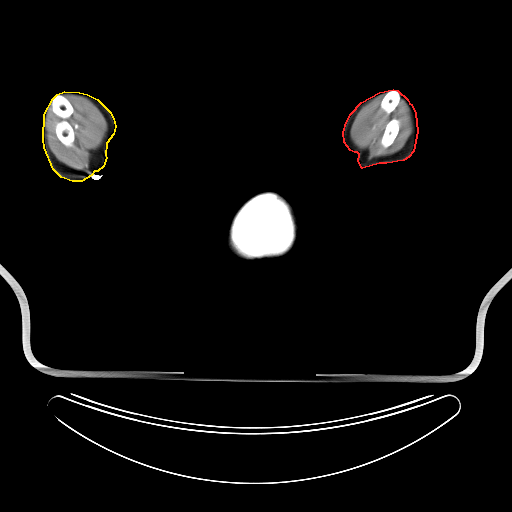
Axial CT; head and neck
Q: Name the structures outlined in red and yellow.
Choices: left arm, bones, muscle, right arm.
A: red: left arm; yellow: right arm.
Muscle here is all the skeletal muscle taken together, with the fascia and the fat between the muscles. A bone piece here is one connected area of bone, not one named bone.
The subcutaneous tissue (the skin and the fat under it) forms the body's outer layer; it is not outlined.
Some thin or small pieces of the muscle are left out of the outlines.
The left arm is outlined by [[393,89],[397,90],[407,99],[409,103],[411,104],[415,113],[417,131],[413,151],[408,157],[403,160],[386,163],[379,163],[362,168],[358,161],[359,154],[357,152],[354,152],[350,150],[344,142],[343,132],[346,122],[351,113],[361,102],[379,92]]. The right arm is outlined by [[64,91],[79,92],[87,94],[97,99],[109,111],[113,118],[115,126],[113,134],[106,143],[105,155],[106,157],[103,166],[97,171],[94,171],[91,175],[81,181],[72,181],[61,177],[53,169],[44,147],[43,139],[44,114],[53,98],[57,94]]. The head and neck is outlined by [[264,191],[276,192],[289,203],[293,213],[295,214],[295,219],[297,220],[297,239],[293,249],[283,257],[273,259],[258,259],[253,261],[243,260],[236,257],[228,248],[226,242],[228,228],[230,226],[230,222],[233,217],[232,216],[236,210],[251,196]]. The muscle appears in 3 outlined pieces: piece 1: [[66,94],[88,98],[97,106],[107,123],[100,144],[91,152],[92,155],[86,171],[73,169],[59,162],[47,143],[45,123],[48,110],[59,119],[54,124],[54,132],[59,141],[66,147],[70,147],[74,143],[74,127],[67,120],[74,112],[74,108]]; piece 2: [[381,94],[384,94],[380,102],[380,107],[388,114],[396,108],[400,102],[401,97],[405,100],[410,109],[413,129],[403,148],[392,154],[382,155],[369,159],[368,152],[366,150],[360,148],[352,140],[350,136],[350,129],[353,120],[361,107],[370,100]] with a hole at [[393,118],[396,118],[399,120],[400,122],[399,124],[399,130],[393,142],[390,145],[385,147],[381,144],[381,139],[382,138],[382,136],[385,130],[385,128],[386,127],[386,125],[387,123],[391,119]]; piece 3: [[228,238],[228,240],[229,241],[229,242],[230,243],[230,244],[231,245],[231,246],[235,250],[235,251],[239,255],[240,255],[242,257],[243,257],[241,257],[240,256],[239,256],[238,255],[237,255],[232,250],[232,249],[230,247],[230,246],[228,243]]. The bones appear in 4 outlined pieces: piece 1: [[264,191],[273,191],[276,192],[281,195],[289,203],[291,206],[296,223],[296,238],[291,248],[287,252],[282,255],[273,256],[272,257],[248,259],[239,254],[232,246],[228,237],[229,227],[231,223],[231,220],[238,208],[251,196],[259,192],[263,192]]; piece 2: [[60,93],[65,96],[70,102],[73,108],[73,112],[66,119],[73,127],[73,130],[74,131],[74,140],[72,145],[70,146],[66,146],[63,144],[57,137],[55,132],[55,124],[56,122],[60,119],[51,110],[48,109],[48,107],[53,98],[57,94]]; piece 3: [[393,118],[396,118],[399,120],[400,122],[399,124],[399,130],[393,142],[390,145],[385,147],[381,144],[381,139],[382,138],[382,136],[385,130],[385,128],[386,127],[386,125],[387,123],[391,119]]; piece 4: [[393,89],[394,90],[397,90],[400,93],[400,99],[399,100],[399,102],[398,104],[395,107],[395,108],[392,111],[388,113],[383,108],[381,107],[381,102],[386,92],[387,92],[389,90],[392,90]].